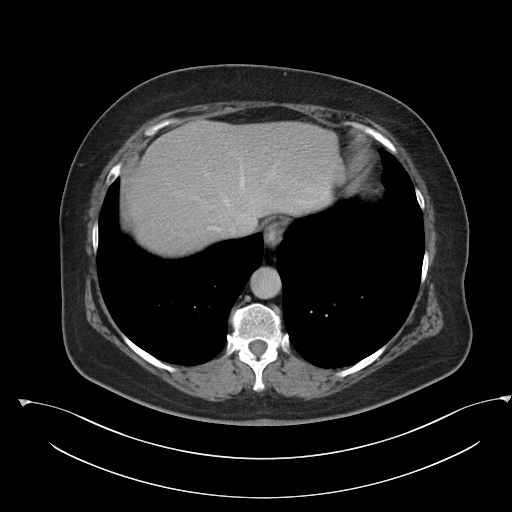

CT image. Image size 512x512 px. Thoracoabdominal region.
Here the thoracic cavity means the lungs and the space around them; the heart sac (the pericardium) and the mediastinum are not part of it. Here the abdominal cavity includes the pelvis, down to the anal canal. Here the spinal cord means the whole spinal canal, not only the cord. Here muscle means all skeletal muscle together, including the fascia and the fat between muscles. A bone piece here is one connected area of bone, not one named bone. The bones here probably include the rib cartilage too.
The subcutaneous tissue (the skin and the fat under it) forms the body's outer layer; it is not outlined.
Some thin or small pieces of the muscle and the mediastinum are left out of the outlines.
{"muscle":[{"outer":[[232,100],[260,100],[261,101],[274,101],[275,102],[306,103],[314,105],[321,105],[340,110],[351,111],[360,116],[369,118],[389,131],[412,156],[431,193],[437,223],[437,257],[436,258],[435,287],[440,309],[443,316],[442,317],[443,318],[443,325],[440,331],[433,336],[426,337],[420,340],[403,353],[352,386],[328,397],[301,400],[300,399],[287,398],[273,393],[248,393],[236,398],[211,401],[200,397],[193,396],[179,390],[142,367],[125,354],[111,341],[106,339],[94,329],[86,319],[85,304],[84,303],[84,256],[85,255],[85,238],[88,221],[88,209],[90,206],[90,199],[92,190],[103,168],[124,142],[147,120],[164,112],[181,107],[220,101],[231,101]],"hole":[[272,106],[343,125],[361,123],[393,144],[393,155],[423,196],[428,268],[407,317],[371,363],[337,376],[346,366],[317,366],[302,357],[290,339],[290,353],[277,349],[277,359],[262,371],[264,388],[255,391],[255,373],[239,360],[236,350],[223,356],[223,349],[199,364],[171,363],[176,369],[173,372],[137,354],[122,338],[104,301],[92,228],[109,187],[106,177],[110,169],[147,137],[148,128],[169,118],[170,126]]}],"mediastinum":[[[290,219],[294,221],[283,234],[281,240],[276,247],[275,253],[276,269],[280,276],[282,285],[282,315],[281,316],[271,307],[261,302],[251,302],[237,307],[231,313],[235,301],[244,289],[251,274],[260,266],[262,262],[264,237],[261,232],[272,223]],[[368,136],[383,147],[379,147],[377,151],[379,154],[381,162],[381,178],[380,179],[381,183],[385,189],[385,193],[381,202],[379,203],[370,203],[365,206],[362,206],[355,199],[356,195],[367,184],[376,167],[375,156],[373,153],[373,144]]],"abdominal_cavity":[[[272,106],[288,108],[342,124],[369,138],[375,167],[354,199],[338,201],[329,209],[295,220],[290,218],[277,220],[258,233],[226,239],[198,253],[179,259],[154,256],[141,249],[121,232],[118,223],[119,176],[124,160],[143,139],[158,130],[190,119]]],"spinal_cord":[[[255,340],[261,340],[262,341],[263,341],[266,344],[266,348],[265,349],[265,350],[259,356],[257,356],[256,355],[255,355],[250,350],[250,349],[249,348],[249,344],[251,342],[252,342],[253,341],[254,341]]],"torso":[[[220,63],[277,65],[351,79],[400,100],[429,126],[455,174],[469,224],[464,291],[472,342],[464,362],[453,373],[353,415],[294,425],[249,426],[199,421],[152,409],[88,380],[73,367],[61,331],[59,210],[74,155],[98,117],[134,86],[171,70]]],"bones":[{"outer":[[251,303],[261,303],[279,314],[282,329],[288,334],[290,342],[290,353],[279,347],[277,359],[263,369],[261,379],[264,388],[259,391],[253,389],[255,382],[253,369],[239,360],[236,350],[223,356],[227,334],[232,330],[230,323],[232,313],[237,308]],"hole":[[255,340],[261,340],[262,341],[263,341],[266,344],[266,348],[265,349],[265,350],[259,356],[257,356],[256,355],[255,355],[250,350],[250,349],[249,348],[249,344],[251,342],[252,342],[253,341],[254,341]]},[[122,332],[131,341],[132,341],[140,348],[149,353],[154,357],[157,358],[159,360],[163,362],[165,362],[168,364],[170,364],[173,366],[176,370],[173,372],[170,372],[165,369],[159,368],[145,360],[137,354],[124,341],[121,335],[121,333]],[[347,121],[361,123],[362,124],[367,125],[373,128],[375,130],[376,130],[378,132],[382,134],[385,137],[386,137],[393,144],[393,145],[396,148],[396,153],[395,154],[391,153],[381,143],[380,143],[370,135],[354,128],[349,124],[346,124],[345,122]],[[385,344],[386,344],[386,348],[384,350],[384,351],[375,360],[374,360],[371,363],[370,363],[365,367],[353,373],[348,374],[343,377],[341,377],[340,376],[337,376],[335,374],[336,372],[355,364],[360,360],[370,355]],[[119,162],[122,162],[122,163],[121,164],[121,169],[120,170],[120,172],[119,173],[119,175],[109,185],[107,185],[106,184],[106,177],[107,176],[107,175],[108,174],[108,173],[109,172],[110,169],[114,165],[115,165],[117,163],[118,163]],[[96,220],[98,220],[98,244],[97,245],[97,251],[96,252],[96,254],[94,254],[94,253],[93,252],[93,246],[92,245],[92,228],[93,227],[93,224],[94,223],[94,222]],[[169,118],[170,119],[172,119],[172,122],[168,125],[167,125],[164,127],[162,127],[160,129],[158,129],[157,130],[150,133],[147,136],[146,136],[144,134],[144,132],[148,128],[149,128],[151,126],[152,126],[153,125],[154,125],[165,119],[168,119]],[[425,250],[427,250],[428,251],[428,268],[427,269],[427,273],[426,274],[426,276],[425,277],[425,279],[424,280],[423,283],[422,284],[420,284],[420,279],[421,278],[421,268],[422,267],[422,262],[423,261],[423,256],[424,255],[424,252],[425,251]],[[415,186],[416,187],[417,187],[420,190],[420,191],[423,196],[423,199],[424,200],[424,208],[423,209],[423,210],[422,210],[421,209],[421,208],[420,207],[420,206],[417,201],[417,198],[416,197],[416,194],[415,193],[415,190],[414,189],[414,187]]],"thoracic_cavity":[[[379,148],[392,154],[409,176],[422,213],[424,251],[419,287],[407,317],[386,343],[351,365],[317,366],[298,353],[285,329],[282,319],[283,285],[277,269],[277,247],[296,220],[329,210],[338,202],[356,200],[362,207],[381,203],[386,189],[381,179]],[[118,177],[119,230],[141,250],[154,257],[163,260],[179,260],[198,254],[226,240],[262,234],[261,262],[250,274],[232,305],[225,346],[216,356],[205,362],[182,365],[168,363],[154,356],[120,329],[104,301],[96,261],[99,244],[99,215],[108,188]]]}